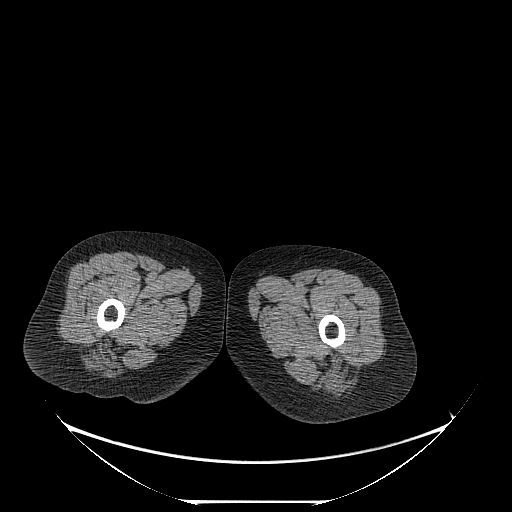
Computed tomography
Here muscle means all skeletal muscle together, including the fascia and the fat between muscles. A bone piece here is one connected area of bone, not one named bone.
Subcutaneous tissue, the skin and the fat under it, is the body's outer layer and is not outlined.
The left leg is outlined by (283, 244) (309, 244) (350, 250) (369, 258) (385, 272) (395, 290) (400, 312) (412, 336) (417, 354) (417, 370) (413, 385) (401, 401) (386, 409) (338, 422) (307, 423) (292, 419) (273, 409) (242, 379) (229, 358) (225, 344) (230, 276) (235, 266) (249, 254) (262, 248). The bones appear in 2 outlined pieces: piece 1: (109, 297) (116, 298) (120, 300) (123, 303) (125, 307) (125, 316) (123, 319) (123, 321) (122, 323) (118, 327) (114, 329) (112, 329) (109, 331) (106, 331) (100, 328) (98, 326) (95, 316) (96, 315) (96, 312) (97, 311) (97, 308) (98, 306) (105, 299); piece 2: (330, 313) (332, 313) (338, 316) (342, 320) (344, 324) (345, 329) (346, 330) (346, 338) (345, 340) (341, 345) (335, 348) (333, 348) (329, 345) (323, 342) (320, 338) (320, 336) (318, 332) (318, 323) (320, 319) (325, 314) (329, 314). The muscle appears in 2 outlined pieces: piece 1: (314, 267) (340, 268) (356, 274) (372, 286) (381, 298) (380, 312) (385, 341) (385, 355) (365, 372) (365, 380) (360, 390) (353, 396) (339, 401) (326, 402) (318, 400) (296, 389) (279, 371) (269, 355) (258, 328) (248, 311) (247, 294) (258, 278) (270, 274) (287, 275); inner edge: (330, 313) (332, 313) (338, 316) (342, 320) (344, 324) (345, 329) (346, 330) (346, 338) (345, 340) (341, 345) (335, 348) (333, 348) (329, 345) (323, 342) (320, 338) (320, 336) (318, 332) (318, 323) (320, 319) (325, 314) (329, 314); piece 2: (120, 250) (146, 254) (164, 264) (179, 267) (186, 266) (202, 286) (201, 303) (198, 312) (189, 321) (180, 337) (165, 350) (161, 359) (154, 366) (128, 379) (100, 377) (90, 373) (83, 366) (78, 356) (61, 340) (55, 322) (64, 304) (66, 281) (70, 267) (90, 255); inner edge: (109, 297) (116, 298) (120, 300) (123, 303) (125, 307) (125, 316) (123, 319) (123, 321) (122, 323) (118, 327) (114, 329) (112, 329) (109, 331) (106, 331) (100, 328) (98, 326) (95, 316) (96, 315) (96, 312) (97, 311) (97, 308) (98, 306) (105, 299). The right leg is outlined by (113, 230) (158, 232) (183, 238) (212, 253) (224, 273) (227, 286) (225, 335) (217, 356) (204, 371) (181, 389) (153, 403) (140, 404) (122, 396) (101, 398) (83, 392) (76, 393) (60, 389) (36, 376) (26, 364) (22, 352) (27, 324) (43, 295) (57, 261) (79, 241).